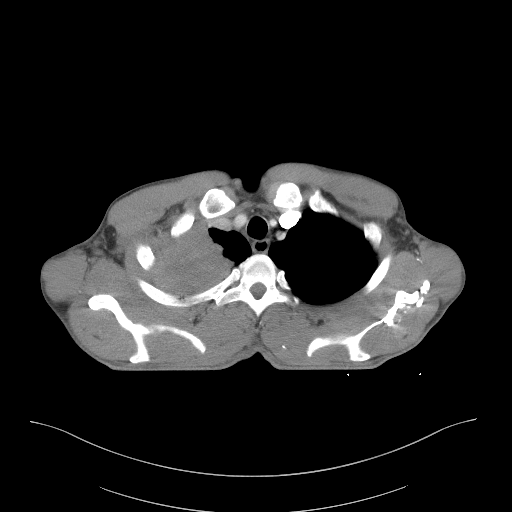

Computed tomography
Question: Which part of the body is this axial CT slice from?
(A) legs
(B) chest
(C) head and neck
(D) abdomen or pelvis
Answer: (B) chest
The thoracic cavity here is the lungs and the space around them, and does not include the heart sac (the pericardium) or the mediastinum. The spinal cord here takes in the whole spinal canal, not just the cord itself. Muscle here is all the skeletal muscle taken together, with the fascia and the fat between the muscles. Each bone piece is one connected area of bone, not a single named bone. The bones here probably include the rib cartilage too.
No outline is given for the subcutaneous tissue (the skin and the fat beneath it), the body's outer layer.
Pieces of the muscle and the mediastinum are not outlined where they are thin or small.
Outlines:
thoracic cavity 1: 308 208; 316 213; 332 215; 360 230; 373 250; 378 263; 367 281; 358 290; 338 301; 312 303; 301 299; 293 292; 292 287; 285 276; 285 272; 276 265; 268 254; 270 246; 274 242; 283 240; 289 230; 296 225; 302 218; 304 211
thoracic cavity 2: 195 222; 206 236; 209 235; 211 228; 226 232; 238 232; 248 243; 251 254; 234 266; 224 278; 203 290; 184 295; 166 291; 156 285; 158 284; 152 271; 156 260; 154 252; 157 251; 162 240; 169 234; 172 238; 178 238; 186 233
spinal cord: 256 283; 261 283; 265 287; 265 290; 264 291; 264 292; 262 294; 262 295; 260 297; 259 297; 258 298; 256 298; 253 295; 253 294; 251 292; 251 291; 250 290; 250 288; 254 284; 255 284
mediastinum: 302 206; 307 208; 303 211; 301 218; 288 230; 283 239; 274 241; 269 246; 267 254; 261 252; 252 253; 249 243; 238 231; 226 231; 211 227; 208 229; 208 235; 206 235; 204 230; 196 223; 196 220; 232 215; 248 208; 292 211
bones 1: 259 253; 268 255; 284 272; 292 292; 300 301; 294 306; 275 302; 267 306; 258 317; 245 302; 240 300; 220 306; 217 306; 213 299; 183 307; 164 305; 150 298; 137 283; 137 279; 140 278; 166 292; 182 297; 215 285; 247 257 with a hole at 256 283; 261 283; 265 287; 265 290; 264 291; 264 292; 262 294; 262 295; 260 297; 259 297; 258 298; 256 298; 253 295; 253 294; 251 292; 251 291; 250 290; 250 288; 254 284; 255 284
bones 2: 98 293; 113 296; 133 322; 144 325; 171 325; 192 333; 204 343; 206 347; 204 353; 194 347; 188 339; 164 331; 144 337; 149 361; 132 363; 129 357; 136 350; 132 335; 118 323; 111 311; 104 308; 93 310; 88 305; 88 299
bones 3: 399 289; 410 293; 418 290; 420 297; 415 303; 409 303; 396 311; 393 326; 383 322; 362 337; 360 345; 371 355; 370 358; 352 361; 347 349; 339 344; 321 347; 310 357; 307 356; 307 346; 315 337; 354 335; 379 320; 393 304
bones 4: 216 187; 217 188; 221 188; 223 189; 224 191; 230 197; 230 198; 234 201; 235 203; 235 206; 234 208; 224 214; 222 214; 215 217; 212 217; 211 218; 205 218; 199 213; 197 209; 198 203; 207 190; 211 188; 215 188
bones 5: 284 181; 291 181; 292 182; 294 182; 299 187; 300 189; 300 191; 303 196; 303 202; 297 209; 293 209; 292 210; 290 210; 289 209; 285 209; 284 208; 278 208; 273 204; 273 202; 272 201; 274 197; 276 186; 281 182; 283 182
bones 6: 315 188; 319 189; 322 195; 333 204; 333 205; 336 208; 338 212; 338 214; 336 216; 332 214; 330 214; 329 213; 324 213; 323 212; 316 212; 309 208; 309 206; 307 202; 307 199; 308 198; 309 194; 313 190; 313 189
bones 7: 389 252; 391 253; 392 256; 391 257; 391 261; 390 262; 388 270; 385 276; 371 291; 366 294; 363 293; 363 292; 361 290; 360 290; 360 289; 368 281; 368 280; 372 275; 373 272; 377 267; 378 264; 386 255; 386 254; 387 254
bones 8: 186 210; 193 210; 195 212; 195 218; 194 219; 194 221; 193 222; 191 227; 186 232; 181 234; 178 237; 172 237; 170 234; 170 228; 171 227; 171 226; 173 224; 173 223; 175 221; 175 220; 182 213; 183 213
bones 9: 138 243; 144 243; 145 244; 147 244; 148 245; 149 245; 150 246; 150 247; 153 252; 153 254; 155 257; 155 260; 154 261; 154 263; 153 264; 153 265; 149 270; 145 270; 140 265; 140 264; 138 262; 138 261; 136 258; 136 245
bones 10: 371 221; 372 222; 374 222; 376 223; 379 226; 380 228; 380 231; 381 232; 381 237; 380 238; 379 243; 377 247; 375 249; 373 249; 372 248; 370 243; 365 238; 364 236; 364 234; 363 233; 363 225; 364 223; 366 222; 370 222
torso: 290 160; 384 182; 398 193; 416 230; 460 257; 466 273; 463 290; 409 351; 365 370; 276 370; 256 353; 223 370; 116 371; 82 351; 45 302; 39 283; 44 261; 91 235; 110 202; 123 192; 207 168; 227 170; 253 189; 267 167
muscle: 288 164; 353 174; 386 187; 398 202; 402 225; 395 236; 399 248; 411 250; 426 241; 447 249; 458 262; 459 288; 406 347; 366 363; 303 366; 280 363; 254 342; 221 364; 127 365; 86 347; 74 333; 66 308; 47 294; 44 271; 53 259; 75 249; 89 256; 101 252; 112 255; 114 229; 107 225; 107 218; 120 199; 151 185; 206 172; 222 173; 237 180; 246 192; 255 192; 272 169, around holes outlined by 284 181; 299 187; 304 207; 317 188; 336 208; 337 218; 362 232; 366 222; 379 226; 375 258; 379 263; 389 252; 392 256; 371 291; 359 289; 329 303; 275 302; 258 317; 240 300; 168 306; 142 291; 138 278; 158 284; 152 269; 145 270; 136 258; 138 243; 155 253; 186 210; 195 212; 195 222; 202 219; 197 206; 211 188; 223 189; 234 201; 225 215; 248 208; 277 210; 272 201 and by 98 293; 113 296; 133 322; 144 325; 171 325; 192 333; 204 343; 206 347; 204 353; 194 347; 188 339; 164 331; 144 337; 149 361; 132 363; 129 357; 136 350; 132 335; 118 323; 111 311; 104 308; 93 310; 88 305; 88 299 and by 399 289; 410 293; 418 290; 420 297; 415 303; 409 303; 396 311; 393 326; 383 322; 362 337; 360 345; 371 355; 370 358; 352 361; 347 349; 339 344; 321 347; 310 357; 307 356; 307 346; 315 337; 354 335; 379 320; 393 304